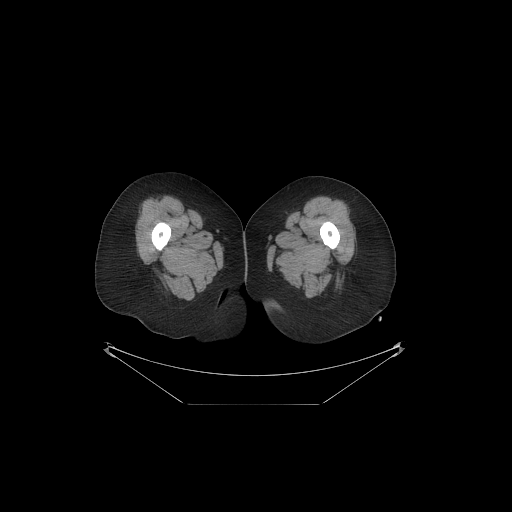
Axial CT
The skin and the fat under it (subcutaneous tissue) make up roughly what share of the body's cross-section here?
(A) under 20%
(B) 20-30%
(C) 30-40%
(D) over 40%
Answer: (D) over 40%
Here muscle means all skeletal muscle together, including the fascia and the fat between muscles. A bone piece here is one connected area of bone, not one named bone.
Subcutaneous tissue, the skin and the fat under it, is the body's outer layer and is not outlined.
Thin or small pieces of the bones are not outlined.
The bones appear in 2 outlined pieces: piece 1: (160, 221) (163, 221) (167, 223) (170, 226) (170, 228) (171, 229) (171, 235) (170, 236) (170, 238) (167, 244) (161, 250) (158, 250) (153, 245) (152, 243) (152, 241) (151, 240) (151, 235) (150, 234) (151, 233) (151, 230) (152, 228) (155, 225) (155, 224) (156, 224); piece 2: (324, 221) (331, 221) (338, 228) (338, 230) (339, 231) (339, 233) (340, 234) (340, 238) (339, 239) (339, 242) (338, 243) (337, 246) (334, 249) (331, 249) (328, 246) (325, 245) (323, 243) (323, 242) (322, 241) (322, 239) (319, 234) (319, 228) (320, 227) (321, 224). The left leg is outlined by (307, 175) (323, 175) (339, 179) (356, 187) (368, 197) (384, 218) (396, 252) (396, 281) (391, 299) (381, 312) (380, 319) (375, 317) (361, 328) (320, 344) (298, 342) (275, 329) (266, 327) (262, 308) (247, 295) (245, 289) (244, 227) (247, 221) (253, 212) (280, 188). The right leg is outlined by (158, 171) (182, 172) (200, 180) (217, 193) (240, 218) (243, 226) (244, 261) (244, 286) (241, 293) (248, 313) (244, 330) (233, 339) (201, 343) (190, 337) (170, 338) (157, 334) (135, 318) (111, 311) (97, 296) (94, 286) (94, 262) (102, 222) (127, 185) (142, 175). The muscle appears in 2 outlined pieces: piece 1: (318, 195) (326, 195) (330, 197) (341, 198) (344, 199) (349, 204) (354, 219) (357, 240) (356, 257) (349, 272) (348, 282) (345, 291) (339, 301) (328, 309) (316, 309) (308, 306) (294, 295) (288, 287) (266, 271) (267, 244) (277, 231) (287, 214) (290, 210) (296, 206) with a hole at (324, 221) (331, 221) (338, 228) (338, 230) (339, 231) (339, 233) (340, 234) (340, 238) (339, 239) (339, 242) (338, 243) (337, 246) (334, 249) (331, 249) (328, 246) (325, 245) (323, 243) (323, 242) (322, 241) (322, 239) (319, 234) (319, 228) (320, 227) (321, 224); piece 2: (161, 193) (178, 195) (192, 204) (221, 237) (221, 239) (227, 249) (228, 260) (224, 271) (207, 288) (199, 300) (184, 308) (170, 306) (159, 299) (154, 289) (153, 277) (151, 273) (142, 263) (136, 252) (135, 224) (138, 217) (137, 215) (138, 208) (143, 198) (150, 195); inner edge: (160, 221) (163, 221) (167, 223) (170, 226) (170, 228) (171, 229) (171, 235) (170, 236) (170, 238) (167, 244) (161, 250) (158, 250) (153, 245) (152, 243) (152, 241) (151, 240) (151, 235) (150, 234) (151, 233) (151, 230) (152, 228) (155, 225) (155, 224) (156, 224).